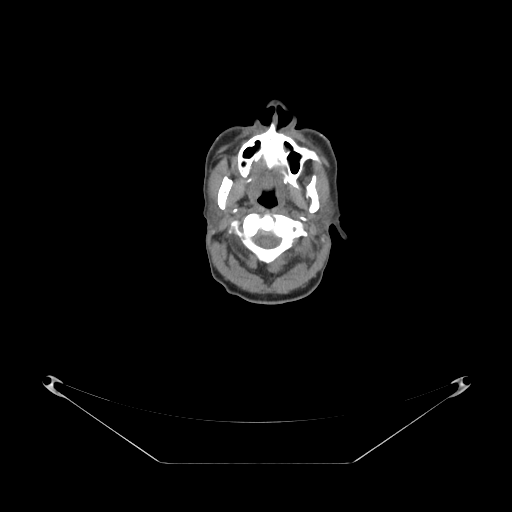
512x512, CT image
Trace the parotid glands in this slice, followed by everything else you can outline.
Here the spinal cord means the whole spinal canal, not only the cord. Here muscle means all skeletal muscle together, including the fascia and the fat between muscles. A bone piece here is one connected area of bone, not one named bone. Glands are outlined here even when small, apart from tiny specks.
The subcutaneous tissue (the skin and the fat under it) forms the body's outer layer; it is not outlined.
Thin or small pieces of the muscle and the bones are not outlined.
The parotid glands appear in 2 outlined pieces: piece 1: [[326,199],[329,199],[331,200],[333,203],[333,206],[335,209],[335,211],[333,215],[333,219],[330,221],[329,223],[327,224],[327,225],[325,226],[324,225],[320,225],[318,224],[315,220],[315,217],[320,209],[320,206],[322,205],[322,203],[324,200]]; piece 2: [[210,199],[211,199],[214,202],[215,206],[216,207],[218,207],[222,211],[222,216],[220,219],[220,221],[218,225],[215,227],[212,227],[212,225],[210,222],[210,220],[208,218],[208,216],[207,215],[207,209],[208,208],[208,204],[209,203],[209,200]]. The bones appear in 4 outlined pieces: piece 1: [[272,122],[278,131],[291,137],[300,146],[313,150],[320,160],[318,162],[307,159],[304,162],[296,179],[298,188],[285,183],[279,168],[276,166],[269,169],[261,158],[252,164],[248,174],[250,181],[247,181],[238,170],[237,153],[242,144],[263,132]]; inner edges: [[292,152],[293,152],[294,153],[295,153],[296,154],[297,154],[299,156],[298,157],[298,159],[297,160],[297,164],[298,165],[297,166],[297,169],[296,170],[296,171],[293,171],[291,168],[291,162],[290,161],[290,155]], then [[257,142],[258,142],[258,145],[257,146],[257,147],[249,155],[248,155],[247,156],[246,156],[245,155],[245,152],[246,151],[246,150],[247,149],[248,149],[249,148],[253,148],[254,147],[255,147],[257,145]]; piece 2: [[254,212],[261,215],[266,212],[277,213],[295,220],[299,220],[301,216],[305,217],[306,220],[302,223],[307,235],[295,238],[292,245],[272,261],[268,263],[261,261],[243,244],[239,236],[233,232],[228,232],[230,224],[233,220],[240,221],[247,214]] with a hole at [[259,230],[263,230],[264,231],[266,231],[267,232],[271,232],[274,235],[275,235],[280,239],[280,242],[276,246],[275,246],[274,247],[272,247],[271,248],[265,248],[264,247],[262,247],[259,245],[257,245],[253,241],[252,238],[257,233],[257,232]]; piece 3: [[313,174],[315,174],[316,175],[316,182],[315,183],[315,187],[318,194],[318,199],[319,200],[319,208],[315,212],[311,213],[309,212],[309,206],[311,202],[311,199],[309,196],[306,196],[306,186],[310,182],[311,178],[312,177],[312,175]]; piece 4: [[225,175],[226,175],[232,180],[232,185],[229,190],[229,192],[226,198],[226,201],[225,202],[225,208],[224,209],[221,209],[218,206],[218,204],[217,203],[217,194],[218,193],[218,190],[221,184],[222,179]]. The spinal cord is outlined by [[259,230],[263,230],[264,231],[266,231],[267,232],[271,232],[274,235],[275,235],[280,239],[280,242],[276,246],[275,246],[274,247],[272,247],[271,248],[265,248],[264,247],[262,247],[259,245],[257,245],[253,241],[252,238],[257,233],[257,232]]. The head and neck is outlined by [[273,98],[296,115],[297,128],[313,128],[329,139],[337,160],[339,220],[348,239],[329,226],[328,262],[319,285],[308,296],[259,304],[228,293],[211,275],[202,185],[205,157],[216,136],[233,125],[250,125],[254,118],[269,124],[275,109],[264,106]], around holes outlined by [[268,193],[271,193],[272,194],[273,194],[273,195],[274,196],[274,197],[275,198],[275,204],[274,205],[272,205],[271,206],[266,206],[265,205],[264,205],[263,204],[262,204],[261,203],[260,203],[260,202],[258,200],[258,199],[263,194],[267,194]] and by [[279,107],[280,107],[284,111],[285,111],[286,112],[287,112],[290,115],[290,119],[285,124],[284,124],[283,125],[282,125],[281,126],[279,126],[278,125],[278,122],[279,121],[279,115],[278,114],[278,112],[277,111],[277,109]] and by [[292,152],[293,152],[294,153],[295,153],[296,154],[297,154],[299,156],[298,157],[298,159],[297,160],[297,164],[298,165],[297,166],[297,169],[296,170],[296,171],[293,171],[291,168],[291,162],[290,161],[290,155]] and by [[257,142],[258,142],[258,145],[257,146],[257,147],[249,155],[248,155],[247,156],[246,156],[245,155],[245,152],[246,151],[246,150],[247,149],[248,149],[249,148],[253,148],[254,147],[255,147],[257,145]]. The muscle is outlined by [[254,127],[266,128],[236,153],[237,170],[247,182],[261,159],[298,189],[305,162],[321,162],[313,149],[278,130],[287,128],[321,146],[330,164],[331,199],[320,205],[315,173],[305,186],[308,212],[318,210],[314,220],[325,227],[328,238],[323,265],[304,287],[285,294],[239,288],[217,270],[209,249],[211,228],[219,225],[233,185],[226,174],[222,177],[216,206],[208,196],[209,164],[222,145]] with holes at [[254,212],[261,215],[266,212],[277,213],[295,220],[299,220],[301,216],[305,217],[306,220],[302,223],[307,235],[295,238],[292,245],[272,261],[268,263],[261,261],[243,244],[239,236],[233,232],[228,232],[230,224],[233,220],[240,221],[247,214]] and at [[268,193],[271,193],[272,194],[273,194],[273,195],[274,196],[274,197],[275,198],[275,204],[274,205],[272,205],[271,206],[266,206],[265,205],[264,205],[263,204],[262,204],[261,203],[260,203],[260,202],[258,200],[258,199],[263,194],[267,194]].